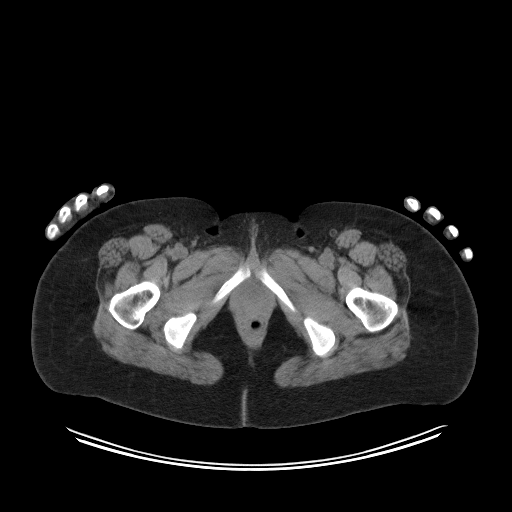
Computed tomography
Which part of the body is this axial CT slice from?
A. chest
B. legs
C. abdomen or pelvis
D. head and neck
C. abdomen or pelvis
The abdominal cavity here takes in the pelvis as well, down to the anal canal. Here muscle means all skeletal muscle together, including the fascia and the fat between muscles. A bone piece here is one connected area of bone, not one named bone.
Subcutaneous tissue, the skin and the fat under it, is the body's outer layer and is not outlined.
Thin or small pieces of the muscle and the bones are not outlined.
{"torso":[[[166,196],[204,200],[221,217],[272,210],[295,220],[307,205],[340,200],[386,206],[417,221],[447,249],[476,305],[478,345],[468,385],[443,405],[398,404],[278,429],[190,425],[53,391],[34,367],[30,344],[33,297],[47,262],[93,216],[134,199]]],"muscle":[{"outer":[[151,220],[176,230],[192,250],[231,244],[247,256],[252,252],[262,258],[270,248],[284,246],[314,258],[347,227],[390,235],[406,254],[411,282],[407,355],[386,368],[309,386],[280,387],[274,372],[290,357],[305,353],[304,339],[277,305],[266,339],[253,351],[254,365],[247,365],[247,349],[225,303],[192,341],[196,350],[211,353],[223,366],[223,375],[211,385],[112,358],[92,331],[99,304],[98,247]],"holes":[[[145,280],[154,282],[159,287],[160,289],[160,296],[154,306],[145,314],[143,321],[137,328],[135,329],[129,329],[128,328],[126,328],[121,325],[109,312],[108,310],[109,301],[111,297],[115,293],[123,291],[130,286],[134,285],[137,283],[139,283]],[[248,284],[254,284],[262,288],[269,295],[272,301],[270,304],[270,309],[266,317],[265,327],[262,333],[262,336],[258,343],[252,346],[250,346],[240,327],[240,324],[238,321],[238,318],[236,315],[234,307],[234,302],[232,300],[236,293],[242,287]],[[356,286],[361,287],[364,289],[367,289],[373,292],[381,293],[386,296],[390,297],[396,302],[398,307],[397,313],[390,324],[385,328],[375,332],[370,332],[368,331],[363,325],[360,319],[358,318],[346,305],[345,302],[345,296],[346,294],[349,290]],[[306,316],[309,316],[319,323],[321,324],[324,324],[330,327],[334,332],[334,334],[335,335],[335,343],[332,349],[328,353],[328,354],[324,357],[321,357],[315,354],[312,350],[312,348],[311,347],[311,342],[310,341],[309,336],[303,324],[303,319]],[[188,312],[193,312],[195,313],[196,314],[197,318],[193,324],[184,342],[183,346],[180,349],[177,349],[175,350],[174,348],[170,344],[169,344],[165,339],[165,336],[164,335],[164,332],[163,331],[163,325],[164,323],[170,317],[172,316],[183,315]],[[240,266],[248,266],[250,269],[250,272],[251,273],[250,274],[250,276],[246,278],[233,289],[232,289],[226,296],[226,297],[221,299],[215,304],[211,304],[210,302],[211,300],[213,298],[216,292],[219,289],[221,285],[228,278],[229,278]],[[262,268],[264,268],[267,271],[267,272],[282,287],[282,288],[284,290],[284,291],[296,308],[296,312],[293,312],[291,311],[282,302],[281,302],[279,300],[277,296],[270,289],[269,289],[264,284],[263,284],[262,282],[256,276],[256,272],[259,271]]]},[[94,192],[97,196],[100,196],[107,192],[107,194],[101,199],[97,198],[93,199],[89,202],[89,205],[85,210],[81,212],[74,213],[72,217],[72,208],[69,204],[73,202],[74,211],[79,212],[83,207],[85,207],[87,205],[88,195],[90,195]],[[57,218],[58,221],[60,223],[64,223],[68,219],[70,219],[71,218],[71,219],[70,220],[70,221],[68,223],[67,223],[65,225],[64,225],[63,226],[62,226],[60,228],[59,228],[59,226],[55,222],[54,222],[56,220],[56,219]]],"right_arm":[[[104,183],[110,183],[114,186],[115,188],[114,195],[109,200],[80,219],[58,239],[55,241],[50,241],[46,237],[45,228],[51,218],[62,205],[68,199],[73,196],[75,196],[83,191],[90,192],[94,187],[99,186]]],"bones":[[[145,280],[154,282],[159,287],[160,289],[160,296],[154,306],[145,314],[143,321],[137,328],[135,329],[129,329],[128,328],[126,328],[121,325],[109,312],[108,310],[109,301],[111,297],[115,293],[123,291],[130,286],[134,285],[137,283],[139,283]],[[356,286],[361,287],[364,289],[367,289],[373,292],[381,293],[386,296],[390,297],[396,302],[398,307],[397,313],[390,324],[385,328],[375,332],[370,332],[368,331],[363,325],[360,319],[358,318],[346,305],[345,302],[345,296],[346,294],[349,290]],[[306,316],[309,316],[319,323],[321,324],[324,324],[330,327],[334,332],[334,334],[335,335],[335,343],[332,349],[328,353],[328,354],[324,357],[321,357],[315,354],[312,350],[312,348],[311,347],[311,342],[310,341],[309,336],[303,324],[303,319]],[[188,312],[193,312],[195,313],[196,314],[197,318],[193,324],[184,342],[183,346],[180,349],[177,349],[175,350],[174,348],[170,344],[169,344],[165,339],[165,336],[164,335],[164,332],[163,331],[163,325],[164,323],[170,317],[172,316],[183,315]],[[240,266],[248,266],[250,269],[250,272],[251,273],[250,274],[250,276],[246,278],[233,289],[232,289],[226,296],[226,297],[221,299],[215,304],[211,304],[210,302],[211,300],[213,298],[216,292],[219,289],[221,285],[228,278],[229,278]],[[262,268],[264,268],[267,271],[267,272],[282,287],[282,288],[284,290],[284,291],[296,308],[296,312],[293,312],[291,311],[282,302],[281,302],[279,300],[277,296],[270,289],[269,289],[264,284],[263,284],[262,282],[256,276],[256,272],[259,271]],[[82,193],[83,194],[86,194],[87,195],[87,203],[86,204],[86,205],[85,206],[83,206],[80,209],[80,210],[79,211],[75,211],[75,210],[74,209],[74,201],[75,200],[75,199],[76,198],[76,197],[79,194],[81,194]],[[64,205],[68,205],[71,208],[71,217],[70,218],[68,218],[64,222],[60,222],[59,221],[59,220],[58,219],[58,214],[59,213],[59,211],[60,210],[60,209]],[[51,223],[55,223],[58,226],[58,228],[59,229],[59,232],[55,236],[55,237],[54,237],[52,239],[50,239],[49,238],[48,238],[47,237],[47,235],[46,234],[46,233],[47,232],[47,228],[48,227],[48,226]],[[431,207],[432,207],[433,208],[435,208],[440,213],[440,214],[441,215],[441,218],[440,219],[436,219],[432,215],[431,215],[429,213],[428,213],[427,212],[427,210],[429,208],[430,208]],[[409,198],[412,198],[413,199],[415,199],[418,202],[418,208],[416,210],[413,210],[408,205],[408,203],[407,202],[407,200]],[[103,184],[106,184],[109,187],[109,188],[108,189],[108,190],[106,192],[105,192],[104,193],[103,193],[102,194],[101,194],[100,195],[97,195],[96,194],[96,193],[95,192],[96,191],[96,190],[98,188],[98,187],[99,187],[101,185],[102,185]]],"abdominal_cavity":[[[248,284],[254,284],[262,288],[269,295],[272,301],[270,304],[270,309],[266,317],[265,327],[262,333],[262,336],[258,343],[252,346],[250,346],[240,327],[240,324],[238,321],[238,318],[236,315],[234,307],[234,302],[232,300],[236,293],[242,287]]],"left_arm":[[[431,205],[434,206],[435,207],[435,208],[442,215],[442,217],[439,221],[439,222],[435,225],[432,225],[431,224],[430,224],[428,222],[427,222],[424,219],[424,218],[423,217],[423,213],[424,212],[424,211],[427,210],[429,208],[429,206],[430,206]],[[409,195],[410,195],[411,196],[413,196],[417,200],[417,201],[418,202],[418,208],[416,210],[414,210],[413,211],[410,211],[409,210],[408,210],[404,206],[404,205],[403,204],[403,199],[406,196],[408,196]],[[446,226],[453,226],[455,228],[456,228],[456,229],[457,230],[457,235],[456,236],[456,237],[455,238],[455,239],[454,239],[453,240],[449,240],[448,239],[447,239],[444,236],[444,235],[443,234],[443,232],[442,231],[443,230],[443,229]],[[465,247],[469,247],[470,248],[469,249],[471,251],[471,258],[470,259],[470,260],[468,262],[464,262],[461,259],[461,258],[460,257],[460,256],[459,255],[459,250],[460,249],[461,249],[462,248],[464,248]]]}